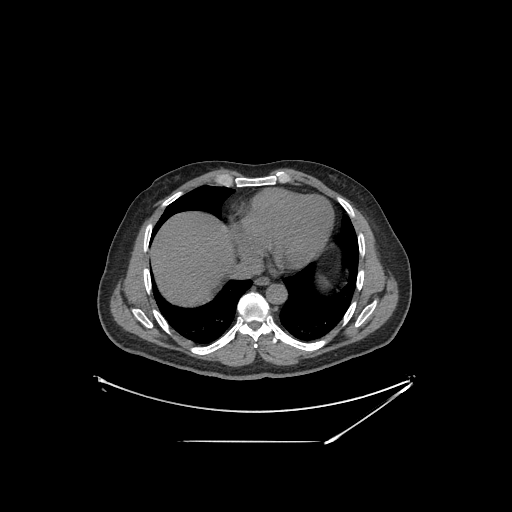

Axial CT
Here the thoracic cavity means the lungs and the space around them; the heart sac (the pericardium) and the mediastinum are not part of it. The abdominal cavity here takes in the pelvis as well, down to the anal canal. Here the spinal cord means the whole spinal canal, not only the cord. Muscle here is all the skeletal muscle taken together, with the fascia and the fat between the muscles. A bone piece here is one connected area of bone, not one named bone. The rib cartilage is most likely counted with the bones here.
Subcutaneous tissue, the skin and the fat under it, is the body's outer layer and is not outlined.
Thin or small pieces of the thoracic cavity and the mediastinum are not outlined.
Outlined structures:
thoracic cavity 1: 342 208; 350 218; 356 233; 359 258; 355 289; 340 321; 323 337; 303 341; 286 332; 275 320; 289 297; 289 290; 283 278; 314 263; 313 286; 322 296; 337 292; 346 283; 348 270; 343 265; 343 252; 334 241; 341 227; 344 213
thoracic cavity 2: 150 271; 160 295; 168 303; 183 308; 197 307; 209 301; 222 286; 232 278; 240 280; 249 279; 251 285; 239 297; 236 303; 236 315; 232 325; 217 339; 208 344; 199 345; 194 344; 171 328; 158 309; 158 305; 152 292; 152 277
thoracic cavity 3: 202 185; 215 185; 228 188; 231 187; 233 189; 233 192; 222 203; 220 210; 222 219; 219 219; 211 213; 199 210; 188 210; 174 213; 173 215; 171 215; 163 222; 157 230; 151 243; 150 243; 153 227; 162 214; 164 209; 185 193
mediastinum 1: 240 265; 243 266; 243 268; 250 274; 257 274; 272 278; 296 272; 284 276; 282 278; 282 281; 288 290; 288 297; 277 317; 270 312; 270 305; 259 292; 254 290; 247 291; 252 285; 252 281; 249 278; 240 279; 234 277; 238 273
mediastinum 2: 261 186; 271 186; 254 188; 242 194; 232 203; 229 207; 229 210; 227 213; 227 221; 226 221; 225 219; 223 219; 222 211; 221 210; 222 209; 222 206; 225 200; 234 192; 234 189; 232 187; 242 188; 243 187; 260 187
mediastinum 3: 324 194; 329 196; 335 200; 335 201; 339 204; 341 207; 341 209; 343 211; 340 220; 340 227; 339 228; 339 231; 337 234; 335 235; 333 241; 332 241; 332 237; 334 235; 334 232; 336 231; 336 227; 338 224; 338 213; 332 201
mediastinum 4: 287 183; 291 183; 292 184; 307 184; 308 185; 319 190; 323 193; 320 193; 317 191; 311 191; 308 189; 304 189; 303 188; 297 188; 296 187; 290 187; 289 186; 278 186; 277 185; 275 185; 276 185; 277 184; 286 184
torso: 283 159; 310 160; 338 169; 365 186; 380 205; 406 251; 411 269; 411 302; 394 338; 371 352; 318 371; 289 377; 249 380; 201 375; 128 353; 116 346; 99 321; 97 290; 113 236; 136 195; 158 176; 192 162; 227 160; 258 164
pericardium: 272 186; 303 189; 323 194; 331 201; 337 213; 335 231; 333 232; 329 244; 322 253; 317 258; 296 271; 273 277; 250 273; 244 268; 243 265; 240 264; 239 258; 236 256; 230 226; 228 225; 228 213; 230 207; 242 195; 254 189
bones 1: 250 291; 265 299; 275 322; 286 333; 303 342; 324 338; 327 343; 307 351; 280 340; 273 343; 271 332; 261 334; 254 347; 250 335; 237 332; 233 339; 212 352; 201 355; 190 351; 192 346; 205 346; 222 336; 235 322; 240 297 with a hole at 252 321; 257 321; 258 322; 259 322; 260 323; 260 325; 259 326; 259 327; 258 328; 257 328; 256 329; 253 329; 252 328; 251 328; 249 326; 249 325; 248 324; 250 322; 251 322
bones 2: 279 170; 285 171; 292 176; 293 180; 291 182; 286 183; 277 183; 274 185; 261 185; 260 186; 243 186; 242 187; 231 186; 228 187; 223 185; 216 185; 214 182; 214 177; 217 174; 221 173; 229 173; 234 176; 259 177; 273 174
bones 3: 374 299; 376 299; 377 300; 377 303; 376 304; 373 311; 371 313; 371 314; 361 325; 360 325; 358 327; 355 327; 354 326; 354 324; 355 323; 355 321; 356 320; 357 317; 359 315; 360 312; 366 305; 367 305; 369 303; 370 303
bones 4: 153 308; 155 308; 157 309; 164 317; 164 318; 168 323; 172 331; 172 335; 170 335; 168 334; 164 330; 163 330; 162 328; 158 324; 152 312; 152 309
bones 5: 132 308; 139 308; 141 310; 142 310; 142 311; 146 315; 146 316; 152 322; 152 323; 153 324; 153 327; 152 328; 149 328; 148 327; 146 327; 144 325; 143 325; 135 317; 135 316; 133 314; 133 313; 131 310; 131 309
bones 6: 337 196; 340 196; 342 197; 344 199; 345 199; 351 205; 355 213; 355 217; 354 218; 351 219; 351 218; 345 211; 345 210; 340 205; 340 204; 338 203; 337 201; 336 201; 335 198
bones 7: 149 222; 151 222; 153 224; 153 226; 152 227; 151 236; 150 237; 150 239; 149 240; 149 245; 148 246; 148 249; 146 252; 144 252; 144 251; 143 250; 143 239; 144 238; 144 234; 145 233; 145 228; 146 227; 147 224
bones 8: 352 300; 355 300; 356 301; 356 305; 355 306; 355 309; 353 312; 353 314; 352 315; 352 316; 350 318; 350 319; 347 322; 347 323; 344 326; 341 326; 341 320; 342 319; 342 318; 343 317; 345 312; 347 310; 348 307; 350 305
bones 9: 144 267; 148 267; 149 268; 149 271; 150 272; 150 276; 151 277; 151 293; 150 294; 148 294; 147 293; 147 292; 146 291; 146 289; 145 288; 145 286; 144 285; 144 282; 143 281; 143 268
bones 10: 358 232; 361 232; 363 234; 363 235; 364 236; 364 241; 365 242; 365 253; 364 254; 364 256; 362 258; 361 257; 360 257; 360 256; 359 255; 359 248; 358 247; 358 241; 357 240; 357 233
bones 11: 180 190; 184 193; 182 195; 181 195; 179 197; 178 197; 175 200; 174 200; 171 203; 170 203; 168 205; 167 205; 164 208; 162 208; 160 206; 164 200; 165 200; 169 196; 170 196; 175 192; 176 192; 177 191; 179 191
bones 12: 359 268; 361 268; 362 269; 363 269; 364 270; 364 279; 363 280; 363 284; 362 285; 362 286; 361 287; 361 289; 360 290; 357 290; 356 289; 356 279; 357 278; 357 274; 358 273; 358 269
muscle: 220 168; 243 175; 221 172; 213 177; 214 184; 202 184; 186 192; 175 191; 160 204; 163 210; 155 223; 149 221; 144 228; 142 250; 148 254; 148 266; 142 268; 142 281; 146 293; 152 293; 155 300; 157 308; 153 307; 151 312; 163 331; 172 336; 172 329; 194 345; 188 348; 190 352; 201 356; 225 346; 237 333; 250 336; 254 348; 258 347; 261 335; 272 333; 273 344; 280 341; 296 349; 313 352; 328 343; 329 340; 324 337; 338 323; 344 327; 351 319; 357 305; 352 296; 355 290; 362 289; 365 279; 365 270; 358 268; 359 259; 366 253; 365 236; 361 231; 356 232; 352 222; 356 217; 355 210; 340 195; 334 199; 307 183; 292 183; 293 176; 285 170; 268 174; 278 168; 291 168; 319 179; 350 200; 366 217; 384 271; 386 274; 389 271; 398 285; 398 301; 390 317; 358 341; 290 365; 276 365; 260 357; 240 366; 198 359; 142 339; 117 324; 110 311; 110 297; 119 279; 126 274; 135 239; 153 205; 188 180 with holes at 374 299; 376 299; 377 300; 377 303; 376 304; 373 311; 371 313; 371 314; 361 325; 360 325; 358 327; 355 327; 354 326; 354 324; 355 323; 355 321; 356 320; 357 317; 359 315; 360 312; 366 305; 367 305; 369 303; 370 303 and at 132 308; 139 308; 141 310; 142 310; 142 311; 146 315; 146 316; 152 322; 152 323; 153 324; 153 327; 152 328; 149 328; 148 327; 146 327; 144 325; 143 325; 135 317; 135 316; 133 314; 133 313; 131 310; 131 309
spinal cord: 252 321; 257 321; 258 322; 259 322; 260 323; 260 325; 259 326; 259 327; 258 328; 257 328; 256 329; 253 329; 252 328; 251 328; 249 326; 249 325; 248 324; 250 322; 251 322
abdominal cavity 1: 188 211; 205 212; 211 214; 219 220; 225 220; 227 222; 236 260; 239 264; 237 273; 228 279; 209 300; 193 307; 174 305; 168 302; 161 295; 156 285; 153 273; 149 267; 148 253; 150 244; 152 243; 158 230; 164 222; 174 214
abdominal cavity 2: 331 241; 339 246; 342 252; 343 256; 342 257; 342 265; 343 268; 344 269; 345 268; 347 270; 347 276; 345 278; 345 283; 337 291; 334 290; 328 295; 322 295; 316 290; 314 286; 314 270; 316 265; 314 262; 312 262; 323 253